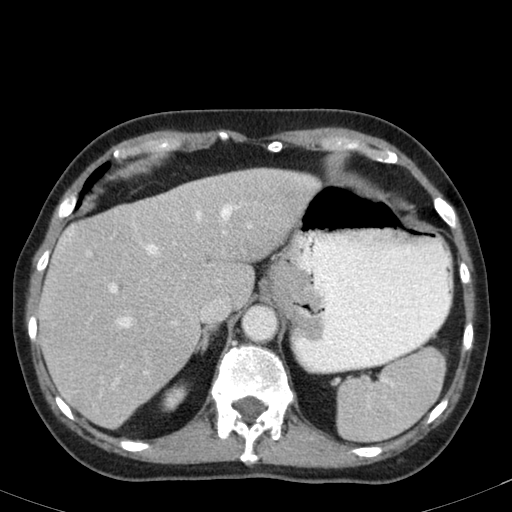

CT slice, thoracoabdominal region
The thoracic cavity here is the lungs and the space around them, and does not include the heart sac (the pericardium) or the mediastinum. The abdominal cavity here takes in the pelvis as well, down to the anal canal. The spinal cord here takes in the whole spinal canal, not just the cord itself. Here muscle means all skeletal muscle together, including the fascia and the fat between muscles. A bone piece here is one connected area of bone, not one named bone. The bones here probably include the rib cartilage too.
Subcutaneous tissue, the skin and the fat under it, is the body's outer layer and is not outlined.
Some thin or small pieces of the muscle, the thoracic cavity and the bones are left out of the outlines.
Outlines (x, y in pixels):
spinal cord: [[247,396],[252,396],[256,398],[258,400],[261,401],[266,406],[266,408],[255,418],[255,419],[252,423],[247,423],[243,420],[242,420],[242,415],[234,407],[233,405],[234,402],[235,402],[237,400],[239,399],[241,399],[242,398],[244,398]]
thoracic cavity: [[110,159],[110,161],[111,162],[111,167],[110,169],[108,170],[100,179],[95,182],[91,189],[83,198],[81,206],[78,208],[76,211],[73,212],[77,205],[77,201],[78,200],[78,193],[80,191],[82,186],[84,184],[87,178],[97,168]]
abdominal cavity: [[232,142],[402,166],[446,224],[462,287],[459,359],[443,397],[402,435],[357,446],[304,419],[278,346],[280,316],[263,303],[239,316],[203,406],[175,431],[144,441],[109,435],[58,394],[37,316],[44,270],[70,215],[112,162]]
muscle 1: [[330,126],[356,130],[394,145],[416,164],[449,202],[440,195],[431,199],[411,172],[397,164],[399,157],[394,151],[386,147],[372,147],[345,135],[322,136],[319,139],[320,149],[314,150],[290,143],[283,146],[280,140],[275,139],[265,147],[232,141],[215,142],[207,147],[183,151],[171,150],[181,146],[182,142],[177,138],[151,138],[129,147],[114,149],[112,157],[122,159],[111,161],[110,158],[102,163],[86,178],[77,194],[72,192],[59,203],[57,217],[69,217],[51,250],[47,248],[35,265],[38,272],[44,271],[37,315],[28,318],[27,334],[31,342],[35,342],[37,337],[43,364],[57,393],[54,401],[67,418],[74,421],[75,414],[94,429],[122,438],[118,445],[123,450],[139,452],[151,447],[145,441],[175,432],[193,420],[209,394],[215,406],[218,437],[225,439],[234,431],[243,438],[243,450],[238,457],[240,461],[172,464],[137,460],[106,451],[61,422],[53,413],[40,388],[24,320],[32,258],[44,239],[55,207],[80,173],[111,146],[158,130],[228,129],[258,138],[281,131]], around a hole outlined by [[220,130],[223,130],[224,131],[225,131],[228,134],[228,135],[229,136],[229,137],[228,138],[228,139],[227,139],[226,140],[222,140],[219,137],[219,136],[218,135],[218,132]]
muscle 2: [[456,212],[474,269],[475,340],[461,395],[448,417],[407,449],[392,457],[369,464],[341,468],[298,467],[268,463],[253,465],[245,464],[253,464],[255,463],[259,459],[254,451],[254,444],[263,432],[269,430],[270,437],[273,440],[278,440],[281,437],[286,411],[295,401],[304,420],[328,434],[336,441],[342,444],[356,446],[352,447],[349,451],[359,457],[366,458],[379,455],[384,450],[380,445],[402,436],[423,420],[425,424],[430,424],[445,410],[449,400],[444,396],[454,377],[461,350],[464,352],[469,350],[472,347],[474,339],[473,323],[470,320],[465,323],[462,286],[462,284],[464,285],[470,282],[471,274],[464,261],[462,260],[458,263],[457,248],[448,227],[454,229],[457,226]]
mediastinum: [[254,304],[263,304],[268,306],[272,310],[274,310],[279,316],[279,333],[277,336],[277,346],[282,355],[282,360],[276,353],[270,349],[252,343],[241,344],[238,346],[234,345],[230,348],[233,338],[232,336],[233,330],[240,316],[247,308],[249,308]]
bones 1: [[249,344],[266,348],[279,357],[295,400],[285,411],[280,437],[273,439],[269,429],[263,431],[253,444],[258,459],[253,463],[244,463],[239,457],[244,450],[244,438],[234,430],[225,438],[217,433],[216,406],[210,398],[210,389],[224,354],[234,346]]; inner edge: [[247,396],[252,396],[256,398],[258,400],[261,401],[266,406],[266,408],[255,418],[255,419],[252,423],[247,423],[243,420],[242,420],[242,415],[234,407],[233,405],[234,402],[235,402],[237,400],[239,399],[241,399],[242,398],[244,398]]
bones 2: [[326,136],[345,136],[350,139],[358,140],[361,143],[364,143],[367,146],[372,148],[378,149],[386,148],[394,152],[397,155],[398,160],[396,163],[384,163],[376,161],[366,156],[359,150],[343,150],[342,151],[322,150],[320,146],[320,139],[322,137]]
bones 3: [[162,138],[174,138],[179,140],[181,142],[181,144],[180,146],[176,149],[160,151],[157,153],[141,153],[137,155],[129,155],[125,158],[122,157],[114,158],[112,155],[114,150],[116,149],[129,148],[136,145],[139,145],[143,142],[151,139],[161,139]]
bones 4: [[435,196],[440,196],[443,199],[444,199],[448,203],[449,203],[452,206],[452,207],[455,212],[455,214],[456,215],[456,226],[454,228],[452,228],[451,227],[450,227],[438,215],[438,214],[434,209],[434,207],[433,206],[433,203],[432,202],[432,199]]
bones 5: [[72,193],[75,193],[77,195],[77,200],[76,201],[76,205],[73,211],[66,217],[64,217],[63,218],[60,218],[58,217],[58,215],[57,213],[58,212],[58,208],[59,207],[59,205],[60,203],[66,197],[67,197],[70,194]]
bones 6: [[443,398],[447,398],[447,399],[448,400],[448,403],[447,404],[446,407],[444,409],[444,410],[436,418],[435,418],[430,423],[429,423],[428,424],[425,423],[425,420],[427,418],[427,417],[428,416],[428,414],[430,412],[430,411]]
bones 7: [[56,395],[58,395],[65,402],[65,403],[67,404],[67,405],[70,408],[71,411],[73,413],[75,417],[75,419],[74,420],[72,420],[68,417],[67,417],[61,411],[61,410],[59,408],[59,407],[57,405],[55,401],[55,396]]
torso: [[211,108],[339,108],[375,115],[416,138],[460,193],[487,272],[489,345],[468,413],[447,446],[416,473],[383,484],[304,483],[267,477],[126,481],[102,475],[73,458],[35,410],[13,340],[12,280],[19,253],[50,190],[70,161],[109,128],[155,112]]